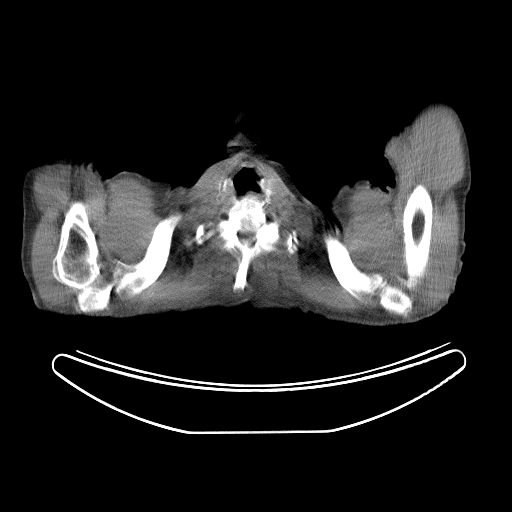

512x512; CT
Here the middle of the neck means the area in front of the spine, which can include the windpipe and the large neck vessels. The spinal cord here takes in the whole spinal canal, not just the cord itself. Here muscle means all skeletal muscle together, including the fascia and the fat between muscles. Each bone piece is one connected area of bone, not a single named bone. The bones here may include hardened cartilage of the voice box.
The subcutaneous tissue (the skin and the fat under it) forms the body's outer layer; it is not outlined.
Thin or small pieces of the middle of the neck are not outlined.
The middle of the neck is outlined by (241, 160) (247, 160) (251, 162) (259, 175) (264, 178) (261, 178) (258, 181) (264, 194) (264, 198) (259, 200) (247, 199) (246, 197) (243, 197) (237, 200) (236, 199) (231, 205) (228, 205) (220, 201) (219, 195) (227, 191) (228, 185) (230, 183) (228, 178) (224, 178). The spinal cord is outlined by (240, 232) (251, 232) (252, 233) (253, 233) (253, 235) (251, 237) (251, 238) (248, 238) (247, 237) (241, 237) (239, 235) (239, 233). The muscle is outlined by (436, 105) (455, 115) (465, 162) (454, 279) (436, 307) (407, 317) (348, 312) (255, 289) (187, 306) (91, 313) (106, 309) (112, 293) (131, 298) (156, 281) (181, 216) (160, 219) (141, 259) (118, 260) (102, 284) (82, 200) (63, 214) (51, 262) (54, 279) (78, 290) (79, 311) (49, 307) (38, 294) (32, 184) (47, 165) (132, 177) (174, 196) (239, 149) (240, 136) (304, 205) (337, 225) (356, 187) (395, 191) (399, 175) (386, 146); inner edges: (417, 184) (426, 188) (432, 202) (430, 251) (427, 275) (421, 284) (408, 292) (412, 308) (404, 316) (385, 310) (376, 297) (364, 303) (344, 289) (331, 268) (324, 238) (327, 234) (338, 238) (361, 271) (379, 273) (390, 283) (396, 284) (397, 276) (405, 274) (403, 210), then (241, 160) (251, 162) (271, 189) (263, 206) (266, 217) (279, 223) (281, 241) (296, 232) (297, 249) (290, 254) (280, 245) (255, 256) (245, 287) (234, 290) (240, 253) (213, 238) (196, 244) (194, 237) (200, 224) (215, 227) (227, 216) (231, 206) (220, 201) (219, 185). The torso appears in 2 outlined pieces: piece 1: (122, 170) (134, 170) (154, 179) (167, 180) (173, 186) (186, 185) (182, 231) (184, 264) (189, 280) (211, 309) (203, 313) (169, 315) (133, 323) (85, 319) (70, 321) (61, 316) (45, 315) (37, 309) (59, 301) (78, 288) (95, 271) (105, 251) (110, 231) (108, 176); piece 2: (344, 183) (353, 183) (353, 191) (358, 211) (385, 264) (396, 279) (408, 291) (440, 311) (438, 313) (413, 323) (372, 327) (332, 322) (311, 313) (305, 316) (298, 311) (292, 314) (276, 312) (299, 291) (314, 269) (322, 234) (322, 216) (318, 203) (326, 209) (331, 196). The right arm is outlined by (61, 160) (66, 162) (92, 162) (99, 168) (101, 172) (107, 174) (109, 196) (109, 231) (104, 251) (97, 266) (90, 276) (78, 287) (59, 300) (43, 307) (36, 308) (24, 278) (20, 261) (20, 245) (22, 237) (22, 182) (24, 174) (30, 165) (53, 163). The bones appear in 4 outlined pieces: piece 1: (73, 201) (87, 205) (88, 222) (99, 251) (102, 285) (111, 280) (118, 261) (134, 264) (142, 259) (160, 220) (170, 214) (179, 214) (166, 264) (155, 281) (131, 297) (112, 292) (108, 306) (102, 310) (80, 311) (76, 299) (79, 290) (56, 280) (52, 273) (64, 214); piece 2: (417, 184) (426, 188) (432, 202) (430, 251) (427, 275) (421, 284) (408, 292) (412, 308) (404, 316) (385, 310) (376, 297) (364, 303) (344, 289) (331, 268) (324, 238) (327, 234) (338, 238) (361, 271) (379, 273) (390, 283) (396, 284) (397, 276) (405, 274) (403, 210); piece 3: (261, 179) (272, 192) (263, 206) (267, 219) (279, 223) (281, 241) (294, 230) (297, 249) (290, 254) (280, 245) (277, 250) (255, 256) (248, 267) (245, 287) (234, 290) (240, 253) (221, 248) (213, 238) (196, 244) (194, 237) (202, 223) (215, 227) (236, 200) (263, 200) with a hole at (240, 232) (251, 232) (252, 233) (253, 233) (253, 235) (251, 237) (251, 238) (248, 238) (247, 237) (241, 237) (239, 235) (239, 233); piece 4: (224, 179) (228, 179) (229, 180) (229, 183) (227, 185) (227, 187) (226, 188) (226, 191) (225, 192) (223, 192) (221, 194) (220, 194) (219, 193) (220, 192) (220, 189) (219, 188) (219, 185) (220, 184) (220, 182) (221, 182). The left arm is outlined by (440, 101) (453, 103) (462, 118) (472, 171) (466, 200) (466, 249) (462, 272) (449, 303) (441, 310) (408, 290) (386, 264) (359, 211) (354, 191) (354, 182) (361, 177) (367, 177) (382, 188) (386, 183) (393, 183) (393, 174) (381, 149) (391, 134) (399, 132) (419, 112). The head and neck is outlined by (243, 130) (259, 141) (261, 147) (274, 159) (285, 165) (300, 191) (317, 202) (321, 216) (319, 247) (312, 271) (288, 301) (275, 312) (262, 314) (256, 313) (247, 304) (235, 313) (212, 309) (190, 280) (183, 250) (187, 185) (198, 177) (212, 158) (219, 157) (227, 143).